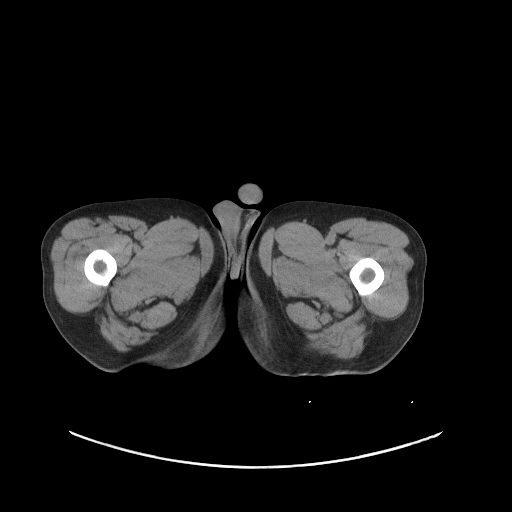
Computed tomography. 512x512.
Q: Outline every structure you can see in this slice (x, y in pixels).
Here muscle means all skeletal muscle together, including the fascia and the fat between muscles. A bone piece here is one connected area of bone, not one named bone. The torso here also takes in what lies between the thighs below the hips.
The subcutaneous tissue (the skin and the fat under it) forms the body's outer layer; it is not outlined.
A: The left leg is outlined by [[295,200],[318,200],[384,209],[406,220],[422,238],[427,254],[427,265],[424,278],[424,301],[419,322],[398,355],[376,372],[325,377],[279,376],[262,369],[250,356],[240,339],[236,325],[237,295],[245,273],[244,266],[254,233],[263,217],[271,209]]. The bones appear in 2 outlined pieces: piece 1: [[361,257],[372,257],[381,265],[384,271],[384,278],[380,286],[376,290],[375,290],[369,295],[365,295],[364,296],[361,296],[358,293],[357,290],[351,282],[350,278],[349,277],[349,271],[351,267],[354,264],[354,263],[356,262],[359,259],[359,258]]; piece 2: [[98,248],[101,248],[102,249],[107,250],[114,257],[117,264],[117,270],[116,271],[116,273],[111,279],[109,284],[107,286],[101,286],[100,285],[97,285],[88,280],[84,273],[84,270],[83,269],[83,264],[86,256],[91,251],[94,249],[97,249]]. The right leg is outlined by [[145,197],[191,201],[202,207],[216,226],[226,248],[228,277],[224,297],[228,305],[227,326],[215,348],[191,365],[173,370],[132,365],[118,372],[108,372],[95,367],[77,353],[61,336],[49,316],[42,297],[40,244],[48,227],[74,208],[93,202]]. The muscle appears in 2 outlined pieces: piece 1: [[360,215],[392,221],[405,228],[415,240],[418,258],[408,285],[408,304],[405,311],[396,319],[377,322],[374,325],[373,334],[358,358],[343,360],[313,354],[304,349],[304,345],[293,331],[277,301],[273,285],[260,266],[260,239],[268,227],[287,221]], around a hole outlined by [[361,257],[372,257],[381,265],[384,271],[384,278],[380,286],[376,290],[375,290],[369,295],[365,295],[364,296],[361,296],[358,293],[357,290],[351,282],[350,278],[349,277],[349,271],[351,267],[354,264],[354,263],[356,262],[359,259],[359,258]]; piece 2: [[98,214],[126,215],[144,219],[170,214],[185,216],[206,227],[213,241],[212,267],[204,276],[179,321],[164,335],[127,352],[112,349],[100,334],[99,328],[91,316],[73,314],[63,309],[57,302],[53,290],[50,247],[54,237],[66,222],[75,218]] with a hole at [[98,248],[101,248],[102,249],[107,250],[114,257],[117,264],[117,270],[116,271],[116,273],[111,279],[109,284],[107,286],[101,286],[100,285],[97,285],[88,280],[84,273],[84,270],[83,269],[83,264],[86,256],[91,251],[94,249],[97,249]]. The torso appears in 2 outlined pieces: piece 1: [[223,199],[228,199],[243,208],[255,208],[260,210],[260,214],[255,220],[250,231],[250,236],[251,237],[253,235],[253,237],[243,266],[244,273],[240,282],[237,279],[232,280],[228,276],[227,248],[224,238],[217,227],[219,223],[212,211],[213,206]]; piece 2: [[245,182],[254,182],[255,183],[257,183],[262,187],[263,189],[263,198],[260,202],[258,203],[255,203],[254,204],[247,204],[246,203],[244,203],[242,202],[239,199],[236,193],[236,190],[237,189],[237,187],[240,184],[242,183],[244,183]].